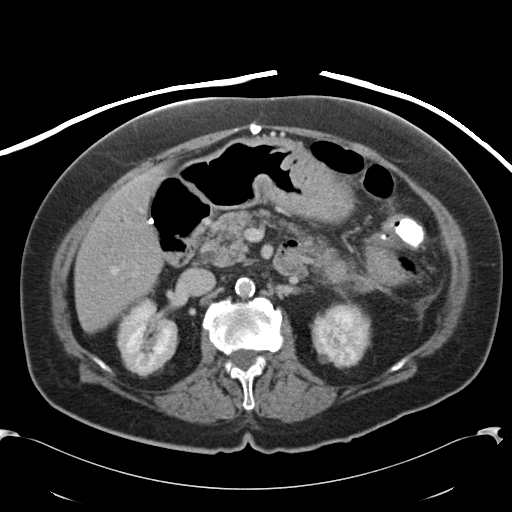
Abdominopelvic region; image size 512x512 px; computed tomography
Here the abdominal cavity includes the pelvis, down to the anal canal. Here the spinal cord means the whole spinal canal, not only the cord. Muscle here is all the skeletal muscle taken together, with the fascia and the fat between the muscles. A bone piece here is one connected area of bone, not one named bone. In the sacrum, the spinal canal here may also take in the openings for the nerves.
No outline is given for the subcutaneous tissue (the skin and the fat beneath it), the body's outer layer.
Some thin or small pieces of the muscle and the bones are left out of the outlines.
Outlined structures:
torso: 288,95 329,96 391,114 435,140 475,180 503,250 498,323 479,373 436,404 361,437 294,453 265,454 248,443 230,453 170,449 97,429 48,404 26,365 19,274 31,221 56,179 87,148 140,116 212,98
spinal cord: 240,349 243,349 244,350 254,350 258,353 258,354 255,357 255,360 254,361 254,362 246,369 242,369 238,366 235,365 233,363 233,362 229,358 229,357 232,352 233,352 234,351 236,351 237,350 239,350
muscle: 255,122 318,130 366,145 408,174 446,207 465,238 471,270 466,303 453,334 440,348 424,357 419,362 417,371 408,379 335,403 309,418 292,423 265,422 254,415 237,417 217,425 192,423 149,408 99,384 80,382 78,365 64,350 51,321 50,271 54,253 62,238 86,208 136,163 191,138 245,124 249,124 248,131 253,135 236,132 197,150 162,159 134,175 113,190 91,220 71,261 66,297 73,334 79,344 93,354 92,360 102,370 111,374 114,372 133,388 164,390 197,367 202,356 200,337 204,329 208,332 209,341 226,357 224,370 241,385 243,408 251,411 255,406 254,379 263,373 267,364 263,353 275,353 284,344 281,332 282,311 287,314 295,336 298,360 313,374 333,386 359,384 383,372 399,370 408,360 407,355 434,331 437,314 450,284 452,267 430,206 394,171 347,145 275,129 264,129 260,133 262,126
abdominal cavity: 264,130 347,146 394,172 429,206 451,267 433,331 378,375 333,385 299,360 284,310 260,295 244,302 224,298 205,309 193,371 164,389 133,387 74,334 67,281 82,237 114,190 134,176 236,133 259,136
bones 1: 260,296 281,310 280,332 283,344 275,352 265,350 262,353 266,364 262,373 253,379 254,406 246,410 243,406 242,385 225,370 227,357 210,341 209,332 203,328 202,321 211,302 228,299 234,303 244,303; inner edge: 240,349 243,349 244,350 254,350 258,353 258,354 255,357 255,360 254,361 254,362 246,369 242,369 238,366 235,365 233,363 233,362 229,358 229,357 232,352 233,352 234,351 236,351 237,350 239,350
bones 2: 405,356 407,356 407,357 408,358 405,362 405,363 399,369 398,369 397,370 395,370 394,371 391,371 390,372 388,372 387,371 387,370 392,365 393,365 395,363 396,363 398,361 399,361 403,357 404,357
bones 3: 94,355 95,356 98,357 101,360 102,360 112,370 112,373 111,373 110,372 108,372 107,371 106,371 105,370 102,369 100,367 100,366 97,363 96,363 93,360 93,359 92,358